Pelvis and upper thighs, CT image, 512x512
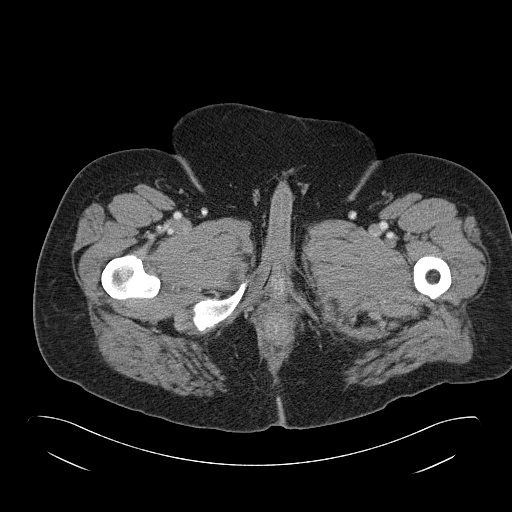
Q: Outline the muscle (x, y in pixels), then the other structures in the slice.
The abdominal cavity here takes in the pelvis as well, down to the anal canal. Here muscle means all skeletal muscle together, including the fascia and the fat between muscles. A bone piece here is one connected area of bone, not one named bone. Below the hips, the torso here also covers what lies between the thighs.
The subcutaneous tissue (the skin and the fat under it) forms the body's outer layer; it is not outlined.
A: Outlines (x, y in pixels):
muscle: [[131,180],[167,186],[250,221],[255,229],[256,257],[270,265],[299,255],[311,223],[359,200],[400,190],[425,190],[466,204],[490,258],[486,287],[469,304],[475,355],[465,363],[430,362],[383,383],[354,387],[342,380],[348,359],[343,347],[306,318],[299,341],[272,375],[255,332],[240,314],[210,346],[211,359],[230,384],[220,396],[179,396],[118,373],[95,350],[86,297],[72,270],[71,250],[83,210],[107,188]], around holes outlined by [[125,254],[133,254],[140,258],[142,261],[144,269],[149,274],[153,274],[158,277],[160,281],[160,286],[159,287],[159,290],[156,295],[153,297],[130,297],[125,299],[116,299],[111,297],[105,291],[101,284],[101,273],[103,268],[112,258],[119,257]] and by [[425,255],[431,255],[432,256],[436,256],[437,257],[442,258],[448,264],[449,269],[450,270],[450,274],[451,275],[451,283],[449,287],[443,293],[434,299],[432,299],[427,295],[419,292],[415,288],[414,282],[413,281],[413,266],[416,261],[419,258]] and by [[245,280],[248,280],[247,286],[241,299],[233,311],[227,317],[217,323],[213,327],[208,327],[203,331],[199,330],[192,320],[193,316],[192,307],[193,305],[198,301],[205,299],[207,297],[217,298],[218,299],[227,297],[232,294],[238,288],[240,284]] and by [[271,312],[279,312],[280,313],[285,314],[285,315],[289,319],[289,337],[283,347],[282,347],[281,349],[279,349],[278,350],[277,349],[273,349],[271,347],[267,345],[262,336],[262,329],[263,328],[263,324],[264,323],[265,318],[268,315],[268,314]]
bones 1: [[125,254],[133,254],[140,258],[142,261],[144,269],[149,274],[153,274],[158,277],[160,281],[160,286],[159,287],[159,290],[156,295],[153,297],[130,297],[125,299],[116,299],[111,297],[105,291],[101,284],[101,273],[103,268],[112,258],[119,257]]
bones 2: [[425,255],[431,255],[432,256],[436,256],[437,257],[442,258],[448,264],[449,269],[450,270],[450,274],[451,275],[451,283],[449,287],[443,293],[434,299],[432,299],[427,295],[419,292],[415,288],[414,282],[413,281],[413,266],[416,261],[419,258]]
bones 3: [[245,280],[248,280],[247,286],[241,299],[233,311],[227,317],[217,323],[213,327],[208,327],[203,331],[199,330],[192,320],[193,316],[192,307],[193,305],[198,301],[205,299],[207,297],[217,298],[218,299],[227,297],[232,294],[238,288],[240,284]]
left leg: [[405,152],[438,156],[469,168],[489,185],[502,204],[511,228],[511,369],[491,380],[441,383],[415,395],[397,398],[380,410],[353,419],[304,429],[285,428],[280,422],[278,376],[293,351],[308,311],[293,268],[294,227],[319,202],[351,188],[378,157]]
torso: [[217,102],[351,123],[372,139],[378,156],[351,187],[319,201],[293,227],[292,268],[307,311],[278,371],[280,426],[253,432],[174,423],[117,405],[58,377],[39,352],[32,319],[39,253],[59,201],[78,171],[119,150],[172,152],[169,133],[175,121]]
abdominal cavity: [[271,312],[279,312],[280,313],[285,314],[285,315],[289,319],[289,337],[283,347],[282,347],[281,349],[279,349],[278,350],[277,349],[273,349],[271,347],[267,345],[262,336],[262,329],[263,328],[263,324],[264,323],[265,318],[268,315],[268,314]]